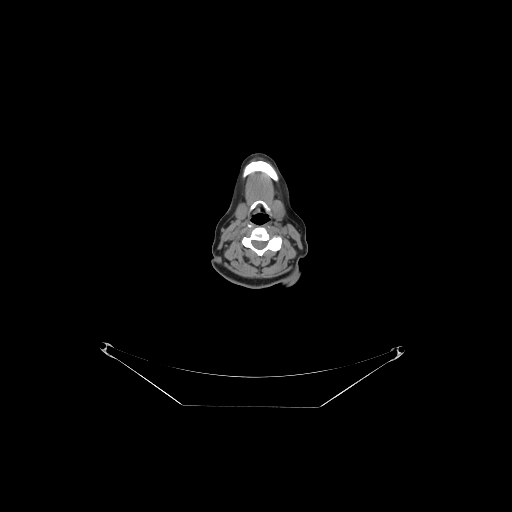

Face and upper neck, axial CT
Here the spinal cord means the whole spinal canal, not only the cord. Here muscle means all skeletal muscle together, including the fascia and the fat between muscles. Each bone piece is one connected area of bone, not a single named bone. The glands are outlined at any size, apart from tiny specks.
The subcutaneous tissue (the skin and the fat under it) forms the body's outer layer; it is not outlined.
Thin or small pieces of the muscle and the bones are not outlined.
head and neck: [[255,152],[265,153],[276,162],[287,182],[291,206],[306,226],[308,250],[300,262],[302,275],[292,287],[287,289],[279,285],[263,289],[252,289],[234,284],[221,276],[212,267],[210,261],[215,226],[230,204],[232,190],[240,164],[244,158]]; inner edge: [[258,213],[262,213],[263,214],[264,214],[265,213],[268,216],[268,219],[267,220],[267,221],[266,221],[265,222],[264,222],[261,224],[257,224],[256,223],[255,223],[254,222],[253,222],[251,220],[251,217],[253,215],[255,215]]
muscle: [[254,172],[262,172],[276,183],[281,183],[285,208],[281,200],[274,199],[273,215],[282,219],[287,212],[300,233],[302,247],[295,267],[274,278],[243,277],[215,259],[221,228],[235,209],[234,217],[244,221],[248,210],[251,212],[258,206],[263,207],[264,213],[258,212],[250,217],[251,221],[246,225],[248,229],[253,223],[261,225],[267,222],[272,214],[261,199],[255,200],[249,208],[245,202],[236,207],[241,178]]; inner edge: [[256,227],[265,227],[267,231],[270,234],[272,235],[273,234],[279,235],[282,240],[281,241],[281,246],[280,248],[276,251],[273,251],[269,249],[261,256],[258,256],[256,253],[250,248],[244,246],[241,243],[241,238],[243,236],[249,237],[253,229]]
submandibular glands 1: [[274,200],[279,200],[280,201],[281,201],[281,202],[282,203],[282,204],[283,205],[283,206],[286,211],[286,213],[285,214],[284,217],[283,217],[282,218],[278,218],[277,217],[276,217],[274,215],[274,213],[273,212],[273,202],[274,201]]
submandibular glands 2: [[241,203],[245,203],[247,204],[247,207],[248,208],[247,210],[247,217],[246,219],[244,220],[241,220],[235,217],[235,215],[236,214],[235,213],[236,211],[236,208],[238,206],[238,205]]
bones 1: [[256,227],[265,227],[267,231],[270,234],[272,235],[273,234],[279,235],[282,240],[281,241],[281,246],[280,248],[276,251],[273,251],[269,249],[261,256],[258,256],[256,253],[250,248],[244,246],[241,243],[241,238],[243,236],[249,237],[253,229]] with a hole at [[254,240],[256,240],[257,241],[266,241],[266,244],[265,245],[265,246],[264,247],[263,247],[262,248],[257,248],[256,247],[255,247],[253,245],[253,244],[252,243],[252,241],[253,241]]
bones 2: [[256,160],[263,160],[271,164],[271,165],[275,169],[279,177],[279,180],[277,182],[276,182],[267,174],[266,174],[262,171],[254,171],[247,175],[244,178],[243,178],[241,176],[241,175],[242,174],[242,172],[243,171],[244,167],[250,161],[255,161]]
bones 3: [[257,200],[261,200],[263,201],[267,205],[267,206],[270,209],[271,211],[271,214],[270,215],[268,215],[266,213],[266,211],[264,207],[261,204],[260,205],[258,205],[254,209],[254,210],[252,210],[250,211],[249,209],[250,208],[250,206],[255,201]]
spinal cord: [[254,240],[256,240],[257,241],[266,241],[266,244],[265,245],[265,246],[264,247],[263,247],[262,248],[257,248],[256,247],[255,247],[253,245],[253,244],[252,243],[252,241],[253,241]]